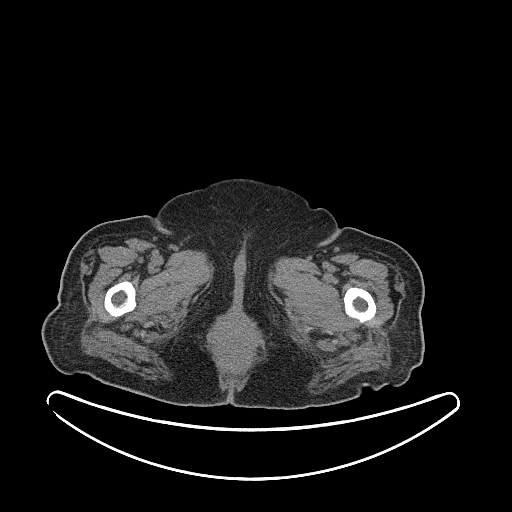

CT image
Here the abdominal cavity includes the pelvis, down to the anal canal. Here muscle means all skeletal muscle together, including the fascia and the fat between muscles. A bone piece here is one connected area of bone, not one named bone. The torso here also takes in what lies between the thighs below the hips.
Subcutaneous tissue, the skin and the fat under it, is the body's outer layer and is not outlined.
The muscle appears in 3 outlined pieces: piece 1: 131,232 150,233 168,250 175,252 183,249 203,250 213,259 213,278 202,300 162,357 174,373 174,378 170,381 145,379 105,360 86,355 81,351 79,335 87,317 81,293 80,266 82,257 92,242 100,236; inner edge: 125,280 131,282 135,289 135,291 136,292 136,296 135,297 135,299 136,300 136,305 134,309 133,309 129,312 127,312 117,317 115,316 112,316 104,307 104,297 105,296 106,291 110,286 118,282 121,282; piece 2: 352,246 387,255 400,269 404,283 404,295 399,304 398,316 389,333 392,347 391,365 384,371 360,373 320,392 310,392 307,385 316,362 306,356 286,333 286,328 269,298 267,273 280,256 306,258 322,251 with a hole at 349,287 359,287 360,288 365,289 372,295 374,299 374,301 375,302 375,305 376,306 376,311 375,312 374,316 371,319 367,320 361,323 356,318 350,317 346,314 345,310 344,309 343,296 345,292; piece 3: 238,307 248,317 251,318 261,330 264,340 265,354 263,358 253,367 252,372 241,390 238,390 236,385 233,387 228,386 224,389 221,389 219,385 217,369 208,351 206,336 208,330 218,316 225,314 231,308 with a hole at 235,334 241,334 252,346 251,347 251,353 250,354 249,361 245,369 244,369 243,371 242,371 241,373 236,377 230,377 226,375 224,372 224,370 222,369 222,366 220,362 220,345 225,340 226,337. The right leg is outlined by 156,213 207,254 218,269 216,285 196,323 185,338 186,390 183,406 162,402 107,385 86,374 64,374 51,364 41,335 45,317 58,303 60,278 68,254 80,236 91,227 102,222 141,215 153,216. The left leg is outlined by 337,226 357,228 394,241 406,249 414,258 422,273 424,284 424,298 421,308 424,353 422,362 412,370 405,383 396,387 386,385 377,390 365,387 356,398 317,407 296,385 279,351 264,301 264,264 281,250. The bones appear in 2 outlined pieces: piece 1: 125,280 131,282 135,289 135,291 136,292 136,296 135,297 135,299 136,300 136,305 134,309 133,309 129,312 127,312 117,317 115,316 112,316 104,307 104,297 105,296 106,291 110,286 118,282 121,282; piece 2: 349,287 359,287 360,288 365,289 372,295 374,299 374,301 375,302 375,305 376,306 376,311 375,312 374,316 371,319 367,320 361,323 356,318 350,317 346,314 345,310 344,309 343,296 345,292. The abdominal cavity is outlined by 235,334 241,334 252,346 251,347 251,353 250,354 249,361 245,369 244,369 243,371 242,371 241,373 236,377 230,377 226,375 224,372 224,370 222,369 222,366 220,362 220,345 225,340 226,337. The torso is outlined by 227,178 250,178 293,190 313,207 327,209 338,224 281,249 263,264 263,301 278,351 295,385 316,407 265,409 235,407 229,404 184,406 187,390 186,338 217,285 219,269 207,253 157,212 164,203 178,194.